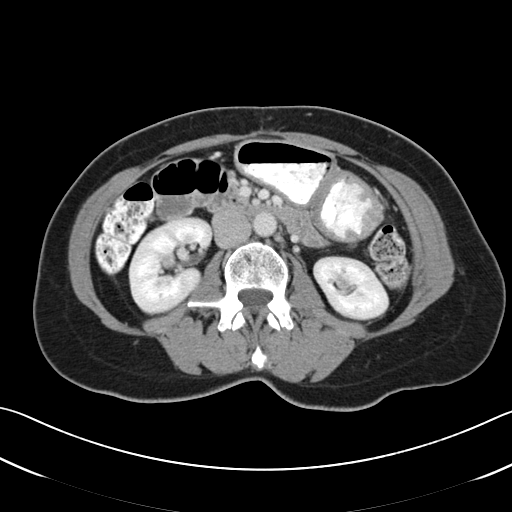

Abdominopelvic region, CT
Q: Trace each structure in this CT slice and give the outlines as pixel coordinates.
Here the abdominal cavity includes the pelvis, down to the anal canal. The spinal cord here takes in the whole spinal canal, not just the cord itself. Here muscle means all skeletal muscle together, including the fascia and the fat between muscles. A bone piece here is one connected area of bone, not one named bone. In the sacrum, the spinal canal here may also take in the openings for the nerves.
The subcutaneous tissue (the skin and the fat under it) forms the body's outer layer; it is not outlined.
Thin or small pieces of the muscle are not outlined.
A: The torso is outlined by 286 105; 324 106; 373 120; 419 144; 446 169; 505 281; 505 311; 485 361; 453 383; 402 390; 355 411; 300 407; 259 380; 194 399; 140 403; 90 391; 60 376; 38 346; 32 298; 46 226; 85 166; 116 140; 174 115; 220 106. The bones appear in 2 outlined pieces: piece 1: 253 241; 271 246; 288 267; 285 295; 292 305; 290 315; 293 321; 289 330; 284 327; 274 329; 263 318; 258 327; 248 320; 235 330; 220 331; 217 308; 187 306; 189 300; 221 297; 225 293; 224 271; 232 253; 239 246, around a hole outlined by 253 288; 256 289; 263 289; 271 292; 272 297; 265 305; 267 309; 266 309; 265 311; 264 310; 263 311; 261 310; 258 313; 252 313; 247 310; 246 311; 245 309; 244 311; 245 308; 243 303; 238 297; 238 293; 241 290; 252 289; piece 2: 257 345; 259 345; 259 346; 260 347; 262 352; 264 354; 265 354; 267 357; 267 359; 264 364; 264 366; 263 367; 263 368; 262 368; 261 369; 259 369; 254 364; 253 364; 251 361; 251 356; 252 355; 252 354; 255 349; 255 347. The abdominal cavity is outlined by 255 137; 321 148; 363 168; 388 190; 413 246; 411 295; 394 319; 370 330; 334 315; 302 262; 290 258; 287 287; 285 259; 259 240; 233 250; 224 282; 222 254; 216 252; 186 303; 140 326; 103 305; 91 249; 106 207; 163 161. The muscle appears in 2 outlined pieces: piece 1: 260 129; 298 131; 319 135; 347 145; 372 161; 400 171; 416 181; 432 200; 440 214; 455 263; 454 280; 449 289; 420 312; 411 324; 358 344; 328 376; 317 382; 293 383; 265 370; 250 369; 205 378; 181 376; 156 339; 149 337; 137 339; 135 336; 105 326; 100 318; 77 298; 69 278; 67 248; 76 215; 84 201; 114 174; 126 168; 142 164; 162 151; 186 141; 214 134; 245 134, around holes outlined by 255 137; 321 148; 388 190; 413 246; 411 295; 394 319; 370 330; 334 315; 293 256; 285 289; 292 305; 289 330; 274 329; 263 318; 258 327; 248 320; 220 331; 217 308; 186 303; 135 326; 103 305; 91 249; 106 207; 163 161 and by 257 345; 259 345; 259 346; 260 347; 262 352; 264 354; 265 354; 267 357; 267 359; 264 364; 264 366; 263 367; 263 368; 262 368; 261 369; 259 369; 254 364; 253 364; 251 361; 251 356; 252 355; 252 354; 255 349; 255 347; piece 2: 218 252; 221 254; 221 258; 220 259; 220 274; 219 276; 222 282; 224 283; 224 293; 221 296; 215 299; 199 299; 198 300; 193 300; 192 299; 190 299; 191 294; 194 290; 198 287; 202 280; 202 276; 204 272; 204 268; 212 257. The spinal cord is outlined by 253 288; 256 289; 263 289; 271 292; 272 297; 265 305; 267 309; 266 309; 265 311; 264 310; 263 311; 261 310; 258 313; 252 313; 247 310; 246 311; 245 309; 244 311; 245 308; 243 303; 238 297; 238 293; 241 290; 252 289.